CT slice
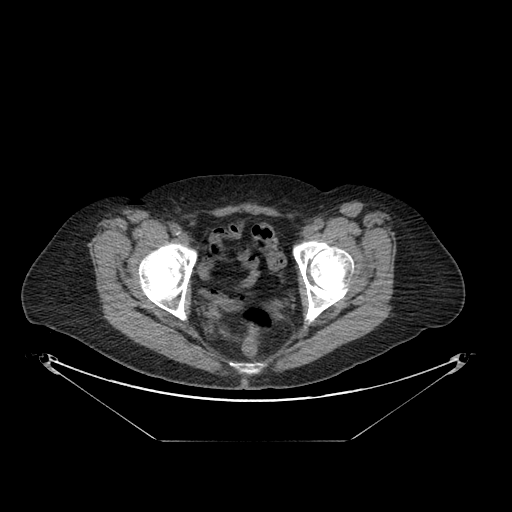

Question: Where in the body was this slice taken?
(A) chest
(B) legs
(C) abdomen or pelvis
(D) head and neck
Answer: (C) abdomen or pelvis
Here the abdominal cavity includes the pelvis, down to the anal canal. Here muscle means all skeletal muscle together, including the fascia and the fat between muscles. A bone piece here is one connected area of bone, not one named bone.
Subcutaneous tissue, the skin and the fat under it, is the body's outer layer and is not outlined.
{"muscle":[{"outer":[[352,200],[376,205],[392,217],[396,240],[392,308],[389,316],[367,334],[307,364],[281,372],[248,377],[214,374],[170,359],[134,342],[103,318],[87,244],[97,223],[114,209],[126,206],[139,207],[158,216],[170,216],[198,208],[251,202],[317,215]],"holes":[[[237,212],[285,218],[294,224],[294,244],[322,241],[354,262],[345,295],[304,327],[306,287],[292,254],[300,324],[257,359],[230,358],[203,338],[193,321],[191,278],[187,319],[181,320],[144,294],[138,274],[141,260],[162,245],[195,249],[200,214]],[[229,361],[233,361],[234,362],[256,362],[257,361],[258,362],[265,362],[266,363],[267,363],[267,366],[264,367],[260,371],[260,372],[258,374],[247,374],[246,373],[241,373],[240,374],[237,371],[237,370],[235,368],[230,366],[228,364],[228,362]]]}],"torso":[[[222,173],[282,174],[321,190],[359,183],[404,200],[425,218],[458,264],[465,284],[462,310],[447,325],[425,329],[327,380],[259,390],[210,389],[150,377],[29,322],[20,298],[24,277],[75,211],[114,193],[127,193],[137,203],[138,196],[162,184]]],"bones":[[[309,240],[322,241],[331,246],[336,246],[345,250],[353,259],[354,270],[353,273],[349,277],[348,290],[345,295],[321,312],[307,327],[304,327],[303,325],[304,317],[308,308],[308,300],[306,293],[306,287],[303,278],[292,254],[292,247],[296,243]],[[169,242],[171,243],[180,243],[185,246],[194,248],[197,251],[197,259],[193,266],[185,293],[184,310],[187,316],[186,320],[179,319],[168,311],[159,307],[152,302],[144,294],[139,281],[138,267],[141,260],[152,250],[154,250],[158,247]],[[229,361],[233,361],[234,362],[256,362],[257,361],[258,362],[265,362],[266,363],[267,363],[267,366],[264,367],[260,371],[260,372],[258,374],[247,374],[246,373],[241,373],[240,374],[237,371],[237,370],[235,368],[230,366],[228,364],[228,362]]],"abdominal_cavity":[[[237,212],[285,218],[294,224],[291,258],[297,276],[297,288],[301,307],[300,324],[280,347],[275,351],[257,359],[237,360],[221,353],[204,339],[196,328],[194,325],[191,309],[191,276],[198,259],[198,251],[195,243],[196,219],[200,214],[222,217]]]}